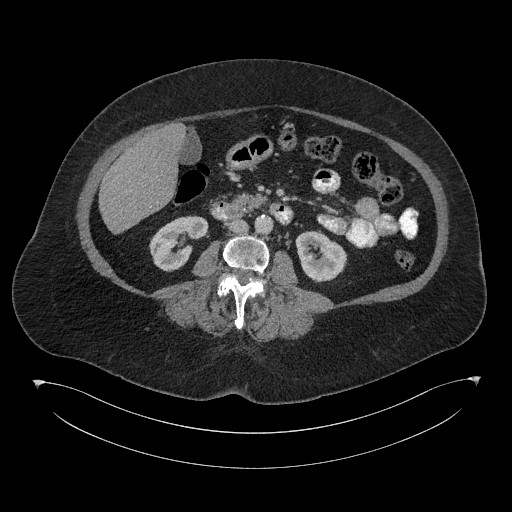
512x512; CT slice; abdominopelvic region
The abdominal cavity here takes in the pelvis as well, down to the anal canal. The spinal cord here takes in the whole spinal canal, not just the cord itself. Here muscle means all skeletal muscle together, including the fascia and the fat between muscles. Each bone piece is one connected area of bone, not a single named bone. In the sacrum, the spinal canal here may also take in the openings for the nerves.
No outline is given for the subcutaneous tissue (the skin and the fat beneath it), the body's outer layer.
{"abdominal_cavity":[[[266,108],[366,133],[418,172],[431,195],[436,223],[433,251],[418,275],[336,302],[299,286],[289,254],[278,249],[271,257],[267,243],[248,233],[224,243],[211,241],[191,268],[193,279],[146,291],[119,275],[90,227],[94,197],[110,164],[169,124]]],"torso":[[[234,58],[298,60],[351,73],[403,99],[438,130],[467,179],[480,231],[487,303],[481,324],[467,341],[359,387],[267,405],[237,394],[192,400],[161,393],[86,362],[52,355],[28,338],[13,310],[12,276],[74,140],[106,105],[132,87],[185,67]]],"muscle":[{"outer":[[265,104],[291,105],[339,116],[373,129],[403,144],[412,150],[430,167],[440,181],[443,188],[448,205],[448,218],[449,219],[447,250],[437,271],[423,288],[419,291],[397,300],[386,302],[374,302],[372,304],[354,304],[330,310],[323,314],[314,329],[296,340],[290,341],[275,339],[264,343],[256,343],[245,333],[241,335],[234,331],[224,336],[217,336],[215,339],[204,339],[182,329],[159,314],[158,312],[159,305],[157,301],[128,291],[113,283],[109,278],[99,274],[93,269],[86,254],[80,245],[77,223],[75,218],[78,197],[88,176],[89,171],[104,150],[122,137],[144,126],[162,122],[165,120],[173,119],[180,116],[187,116],[222,109],[250,107]],"hole":[[266,108],[366,133],[418,172],[436,223],[418,275],[336,302],[299,286],[292,258],[278,249],[261,276],[265,295],[245,302],[241,329],[233,293],[216,292],[228,269],[221,239],[199,254],[193,279],[146,291],[119,275],[90,227],[110,164],[169,124]]}],"spinal_cord":[[[234,269],[242,269],[243,270],[249,270],[250,271],[252,271],[253,272],[254,272],[254,275],[253,276],[250,276],[248,278],[248,281],[246,283],[245,283],[244,284],[242,284],[238,280],[238,279],[237,278],[237,277],[236,276],[236,275],[234,273]]],"bones":[{"outer":[[244,234],[263,240],[269,249],[270,259],[261,276],[266,281],[265,295],[257,294],[247,298],[244,305],[245,323],[241,329],[237,329],[234,324],[236,309],[233,293],[229,291],[219,296],[216,291],[222,275],[228,269],[221,255],[222,248],[229,238]],"hole":[[234,269],[242,269],[243,270],[249,270],[250,271],[252,271],[253,272],[254,272],[254,275],[253,276],[250,276],[248,278],[248,281],[246,283],[245,283],[244,284],[242,284],[238,280],[238,279],[237,278],[237,277],[236,276],[236,275],[234,273]]}]}